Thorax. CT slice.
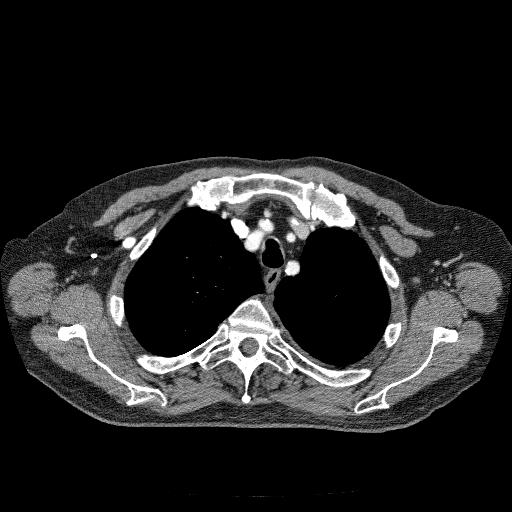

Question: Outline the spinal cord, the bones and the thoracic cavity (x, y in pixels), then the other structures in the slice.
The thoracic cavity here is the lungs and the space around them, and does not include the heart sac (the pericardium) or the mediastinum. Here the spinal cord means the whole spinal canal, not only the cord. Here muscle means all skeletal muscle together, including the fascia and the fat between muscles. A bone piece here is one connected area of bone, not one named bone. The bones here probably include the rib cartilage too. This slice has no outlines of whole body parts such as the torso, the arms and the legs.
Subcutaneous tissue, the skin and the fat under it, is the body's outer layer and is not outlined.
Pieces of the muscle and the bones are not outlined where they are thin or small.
Answer: Outlines (x, y in pixels):
spinal cord: (247, 338) (252, 338) (253, 339) (254, 339) (256, 341) (256, 342) (257, 343) (257, 348) (256, 349) (255, 352) (253, 354) (252, 354) (251, 355) (249, 355) (248, 356) (247, 355) (245, 355) (241, 350) (241, 344) (242, 343) (242, 342) (245, 339) (246, 339)
bones 1: (252, 296) (262, 302) (283, 338) (304, 356) (330, 369) (370, 367) (370, 375) (353, 385) (333, 387) (296, 369) (285, 374) (264, 362) (250, 377) (250, 400) (244, 404) (243, 374) (228, 360) (207, 370) (197, 362) (160, 374) (143, 368) (137, 354) (172, 357) (191, 350), around a hole outlined by (247, 338) (252, 338) (253, 339) (254, 339) (256, 341) (256, 342) (257, 343) (257, 348) (256, 349) (255, 352) (253, 354) (252, 354) (251, 355) (249, 355) (248, 356) (247, 355) (245, 355) (241, 350) (241, 344) (242, 343) (242, 342) (245, 339) (246, 339)
bones 2: (259, 172) (276, 173) (302, 182) (321, 182) (333, 192) (342, 193) (356, 218) (356, 231) (326, 226) (319, 219) (307, 218) (292, 200) (272, 194) (254, 195) (247, 201) (235, 204) (222, 202) (215, 211) (198, 206) (185, 206) (192, 193) (191, 187) (197, 181)
bones 3: (75, 323) (79, 323) (85, 328) (89, 345) (101, 362) (118, 376) (131, 383) (158, 388) (166, 396) (167, 403) (161, 406) (157, 402) (148, 401) (126, 405) (125, 400) (130, 396) (127, 386) (112, 377) (89, 357) (81, 338) (72, 337) (65, 341) (57, 338) (60, 326)
bones 4: (435, 326) (455, 329) (458, 333) (457, 340) (453, 342) (441, 341) (436, 344) (428, 364) (417, 375) (391, 387) (386, 393) (386, 400) (390, 404) (388, 408) (356, 414) (353, 407) (358, 401) (368, 395) (375, 394) (390, 383) (408, 376) (421, 365) (429, 353) (433, 329)
bones 5: (380, 254) (385, 254) (385, 255) (388, 258) (390, 262) (394, 266) (396, 270) (396, 272) (398, 275) (398, 277) (399, 278) (399, 284) (397, 288) (395, 289) (392, 289) (389, 292) (388, 287) (383, 278) (383, 276) (382, 275) (380, 267) (378, 264) (378, 258)
bones 6: (110, 292) (111, 293) (116, 293) (117, 295) (121, 296) (123, 299) (123, 308) (124, 309) (124, 314) (125, 315) (125, 321) (123, 322) (123, 325) (122, 326) (118, 326) (114, 322) (114, 320) (112, 318) (108, 310) (108, 306) (107, 305) (107, 302) (108, 301) (108, 295)
bones 7: (152, 226) (153, 227) (157, 227) (157, 233) (155, 237) (152, 240) (149, 246) (138, 258) (138, 259) (136, 261) (134, 261) (132, 260) (131, 259) (131, 257) (129, 255) (129, 252) (132, 249) (132, 248) (142, 238) (142, 237) (146, 233) (148, 232) (148, 231) (152, 227)
bones 8: (397, 321) (401, 321) (402, 322) (402, 328) (401, 329) (400, 334) (399, 335) (398, 338) (396, 340) (396, 341) (390, 347) (387, 348) (386, 347) (385, 347) (385, 345) (382, 342) (380, 342) (380, 340) (384, 333) (384, 331) (385, 330) (387, 325) (390, 322) (396, 322)
thoracic cavity 1: (185, 207) (198, 207) (205, 211) (216, 212) (223, 219) (227, 219) (244, 249) (251, 253) (257, 261) (263, 289) (260, 293) (243, 300) (201, 343) (177, 355) (156, 355) (149, 353) (142, 347) (128, 326) (123, 298) (124, 283) (135, 262) (150, 246) (157, 234)
thoracic cavity 2: (325, 226) (355, 231) (363, 238) (377, 260) (391, 303) (389, 322) (377, 345) (361, 360) (341, 369) (323, 366) (300, 352) (284, 338) (282, 332) (274, 325) (272, 315) (272, 304) (276, 287) (286, 276) (296, 276) (300, 272) (300, 259) (307, 238) (313, 231)
mediastinum: (263, 195) (287, 198) (307, 219) (319, 220) (325, 225) (313, 230) (306, 238) (299, 259) (299, 272) (296, 275) (286, 275) (275, 287) (271, 304) (272, 318) (256, 295) (264, 289) (258, 261) (245, 249) (228, 219) (223, 218) (216, 211) (223, 205) (241, 204) (254, 196)
muscle: (308, 165) (395, 201) (408, 221) (435, 232) (418, 238) (419, 251) (399, 266) (409, 305) (425, 290) (453, 286) (465, 262) (489, 265) (501, 278) (480, 351) (391, 407) (388, 391) (417, 376) (436, 345) (458, 340) (455, 328) (442, 325) (433, 327) (415, 370) (353, 405) (356, 415) (371, 412) (363, 416) (324, 418) (278, 402) (247, 405) (251, 377) (264, 363) (333, 388) (356, 385) (373, 369) (351, 366) (380, 343) (390, 348) (403, 328) (401, 320) (390, 321) (389, 293) (400, 284) (395, 266) (385, 253) (375, 257) (346, 196) (321, 181) (267, 171) (197, 180) (184, 207) (158, 232) (152, 225) (128, 252) (134, 263) (122, 296) (107, 295) (113, 322) (126, 322) (148, 353) (135, 356) (143, 369) (160, 375) (197, 363) (207, 371) (228, 361) (243, 377) (242, 405) (216, 402) (169, 416) (130, 406) (164, 407) (167, 396) (114, 372) (95, 355) (79, 322) (60, 325) (56, 338) (83, 341) (88, 357) (126, 386) (121, 405) (36, 348) (30, 324) (11, 308) (9, 279) (38, 261) (51, 263) (60, 283) (89, 281) (103, 295) (127, 250) (106, 225) (92, 223) (133, 188) (203, 167)